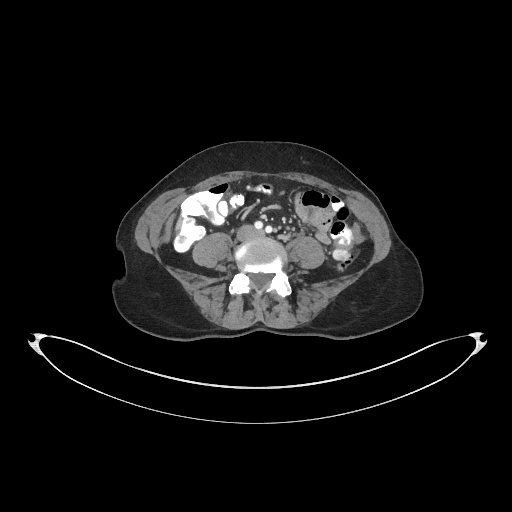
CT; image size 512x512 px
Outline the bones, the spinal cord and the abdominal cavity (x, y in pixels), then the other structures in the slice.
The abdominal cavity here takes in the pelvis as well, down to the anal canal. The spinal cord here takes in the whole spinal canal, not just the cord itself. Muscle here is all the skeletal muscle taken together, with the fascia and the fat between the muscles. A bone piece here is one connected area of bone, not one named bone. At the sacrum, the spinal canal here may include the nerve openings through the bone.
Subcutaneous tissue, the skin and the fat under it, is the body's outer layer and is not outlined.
{"bones":[{"outer":[[257,297],[264,292],[270,292],[273,290],[282,297],[287,296],[292,292],[288,276],[282,269],[283,260],[286,257],[286,253],[279,243],[268,237],[256,237],[247,240],[238,245],[234,251],[238,271],[233,275],[229,282],[228,292],[232,295],[251,292]],"hole":[[258,288],[261,288],[262,287],[265,287],[267,286],[271,279],[271,277],[272,275],[271,274],[263,274],[262,273],[257,273],[256,274],[254,273],[248,273],[247,274],[250,277],[250,280],[251,281],[250,283],[250,285],[252,287],[257,287]]}],"spinal_cord":[[[258,288],[261,288],[262,287],[265,287],[267,286],[271,279],[271,277],[272,275],[271,274],[263,274],[262,273],[257,273],[256,274],[254,273],[248,273],[247,274],[250,277],[250,280],[251,281],[250,283],[250,285],[252,287],[257,287]]],"abdominal_cavity":[[[308,281],[365,266],[372,242],[367,228],[335,196],[293,180],[255,177],[187,197],[169,242],[160,248],[169,264],[215,275],[191,259],[193,247],[207,233],[230,233],[233,253],[256,236],[271,237],[283,246],[297,236],[310,236],[326,259],[302,275]]],"muscle":[{"outer":[[226,329],[241,329],[257,322],[285,329],[305,325],[313,320],[340,292],[388,254],[391,247],[389,230],[377,207],[359,191],[338,187],[301,172],[234,170],[210,176],[189,187],[178,187],[159,194],[138,219],[134,230],[136,245],[165,268],[207,321]],"hole":[[257,297],[292,292],[283,246],[297,236],[310,236],[326,255],[302,275],[308,281],[365,266],[372,255],[367,228],[331,193],[293,180],[255,177],[187,197],[160,248],[163,260],[215,275],[197,266],[191,252],[207,233],[226,231],[238,268],[228,292]]}],"torso":[[[173,341],[237,337],[259,330],[338,340],[362,337],[416,313],[424,295],[422,270],[380,199],[330,154],[290,141],[220,143],[191,155],[162,177],[128,209],[115,234],[115,249],[124,264],[124,273],[114,278],[110,289],[117,312],[136,329]]]}